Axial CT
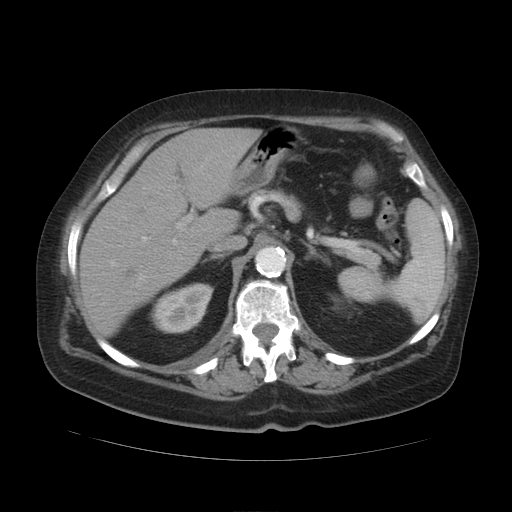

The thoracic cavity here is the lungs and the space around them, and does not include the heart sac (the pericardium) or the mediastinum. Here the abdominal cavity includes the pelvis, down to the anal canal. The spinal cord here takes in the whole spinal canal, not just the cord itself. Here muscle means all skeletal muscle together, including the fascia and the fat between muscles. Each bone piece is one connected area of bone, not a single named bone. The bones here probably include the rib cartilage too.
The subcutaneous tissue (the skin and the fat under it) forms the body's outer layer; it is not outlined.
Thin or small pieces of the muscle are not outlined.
Outlined structures:
spinal cord: [[260,323],[268,323],[269,324],[274,324],[275,325],[276,325],[278,328],[278,330],[277,331],[276,334],[270,340],[270,343],[268,345],[265,345],[264,344],[261,343],[260,342],[259,339],[253,333],[253,328],[257,324],[259,324]]
abdominal cavity: [[243,118],[373,132],[400,148],[406,175],[439,211],[447,244],[443,293],[409,339],[366,356],[337,353],[320,344],[295,313],[286,254],[276,243],[262,245],[241,271],[225,332],[186,362],[140,365],[98,333],[76,277],[78,242],[94,210],[160,139]]
thoracic cavity: [[231,320],[231,325],[229,328],[229,332],[227,336],[219,346],[213,351],[206,360],[189,368],[173,368],[172,367],[177,367],[180,365],[182,365],[186,363],[190,359],[199,355],[201,355],[209,347],[211,347],[216,343],[226,332],[228,329],[228,326]]
muscle: [[247,113],[269,113],[278,115],[295,115],[296,116],[301,116],[302,115],[374,116],[397,126],[406,134],[412,146],[426,164],[428,169],[434,176],[437,182],[452,203],[459,221],[459,231],[462,235],[462,248],[458,254],[458,280],[454,292],[451,311],[448,317],[447,325],[442,338],[435,345],[429,355],[419,358],[415,361],[401,367],[377,375],[370,380],[338,393],[327,395],[308,393],[296,389],[293,386],[287,383],[277,381],[275,383],[266,383],[241,399],[229,401],[228,400],[214,400],[209,398],[205,398],[191,393],[160,386],[142,380],[138,380],[135,378],[129,377],[111,370],[97,362],[94,362],[85,358],[70,355],[66,353],[61,348],[58,342],[58,339],[59,338],[59,323],[64,306],[64,297],[61,292],[61,274],[59,271],[59,257],[60,256],[59,251],[61,246],[63,227],[66,217],[68,215],[70,209],[76,204],[78,200],[83,195],[87,187],[94,181],[94,179],[100,171],[125,142],[138,130],[146,126],[159,122],[179,121],[180,120],[197,119],[220,115],[246,114]]; inner edge: [[243,118],[389,139],[385,123],[403,137],[395,143],[422,171],[421,191],[439,211],[446,208],[453,226],[439,318],[424,337],[336,364],[300,319],[292,333],[295,359],[280,354],[272,382],[264,381],[259,358],[244,365],[241,337],[230,327],[207,359],[217,357],[216,367],[201,374],[191,367],[125,366],[100,347],[96,338],[103,338],[68,264],[74,220],[84,227],[102,184],[135,145],[145,142],[141,156],[170,134]]
bones 1: [[262,279],[287,287],[291,311],[301,325],[299,331],[292,333],[295,359],[291,361],[284,353],[280,354],[274,366],[277,378],[272,382],[264,381],[266,372],[259,358],[255,357],[248,366],[244,365],[241,337],[234,336],[231,332],[238,293],[248,282]] with a hole at [[260,323],[268,323],[269,324],[274,324],[275,325],[276,325],[278,328],[278,330],[277,331],[276,334],[270,340],[270,343],[268,345],[265,345],[264,344],[261,343],[260,342],[259,339],[253,333],[253,328],[257,324],[259,324]]
bones 2: [[141,142],[145,142],[145,143],[139,154],[139,157],[126,172],[122,178],[121,181],[117,186],[116,189],[102,201],[99,203],[96,203],[94,200],[98,192],[100,190],[102,186],[102,184],[104,181],[109,177],[109,176],[120,164],[127,153],[135,145]]
bones 3: [[77,218],[80,218],[82,220],[82,227],[77,242],[77,251],[76,252],[76,276],[75,277],[71,274],[71,269],[69,267],[68,264],[68,259],[67,258],[67,246],[68,245],[68,240],[69,239],[69,234],[70,233],[71,226],[74,220]]
bones 4: [[96,338],[100,338],[101,339],[105,340],[113,347],[114,347],[116,349],[117,349],[119,351],[129,357],[135,363],[137,363],[140,366],[139,367],[130,367],[129,366],[125,366],[117,362],[111,357],[110,357],[100,347],[100,346],[96,341]]
bones 5: [[437,311],[439,312],[439,318],[436,322],[436,323],[434,325],[434,326],[431,329],[431,330],[424,337],[423,337],[420,340],[415,342],[413,344],[408,344],[408,341],[410,339],[410,338],[411,338],[412,336],[430,318],[430,317],[435,312]]
bones 6: [[411,161],[413,161],[417,163],[420,169],[422,171],[422,173],[424,176],[424,178],[425,179],[425,181],[427,185],[427,188],[425,189],[423,189],[421,188],[410,177],[409,177],[407,175],[406,173],[406,165],[408,162],[410,162]]
bones 7: [[441,205],[443,205],[446,208],[451,218],[451,221],[453,226],[453,242],[452,243],[452,245],[450,247],[448,247],[448,244],[446,239],[446,234],[444,229],[444,225],[443,224],[442,218],[441,217],[441,214],[440,213],[440,206]]
bones 8: [[326,352],[333,352],[334,353],[336,353],[337,354],[341,354],[342,355],[345,355],[346,356],[351,356],[352,357],[353,357],[355,359],[355,361],[352,363],[349,363],[348,364],[336,364],[335,363],[333,363],[326,359],[326,358],[324,355],[324,354]]
bones 9: [[213,357],[217,357],[218,358],[217,365],[215,368],[213,369],[211,369],[207,372],[205,373],[202,373],[201,374],[196,374],[190,371],[190,370],[193,367],[195,367],[197,365],[201,363],[203,363],[209,360]]
bones 10: [[382,123],[385,123],[386,124],[387,124],[388,125],[389,125],[390,126],[391,126],[394,129],[395,129],[403,137],[403,140],[401,142],[395,142],[393,140],[392,140],[391,139],[391,138],[380,127],[380,125]]
mediastinum: [[265,244],[276,244],[283,250],[285,254],[285,281],[286,282],[286,285],[284,283],[282,283],[281,282],[277,283],[269,279],[265,279],[264,278],[262,278],[261,279],[252,279],[248,281],[239,291],[240,277],[242,274],[242,271],[250,262],[257,251]]
torso: [[256,87],[351,91],[396,106],[417,123],[464,196],[477,229],[479,268],[459,370],[451,387],[440,397],[391,416],[342,426],[231,432],[175,425],[115,409],[62,386],[45,367],[36,337],[38,243],[51,208],[93,144],[121,117],[150,101],[194,90]]